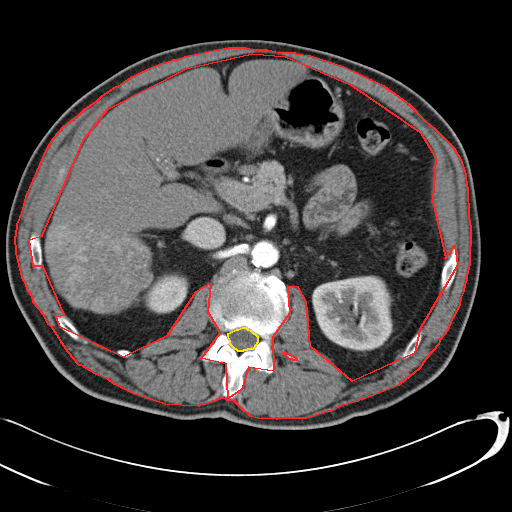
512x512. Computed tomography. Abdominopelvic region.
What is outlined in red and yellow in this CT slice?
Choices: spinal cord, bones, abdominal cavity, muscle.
red: muscle; yellow: spinal cord.
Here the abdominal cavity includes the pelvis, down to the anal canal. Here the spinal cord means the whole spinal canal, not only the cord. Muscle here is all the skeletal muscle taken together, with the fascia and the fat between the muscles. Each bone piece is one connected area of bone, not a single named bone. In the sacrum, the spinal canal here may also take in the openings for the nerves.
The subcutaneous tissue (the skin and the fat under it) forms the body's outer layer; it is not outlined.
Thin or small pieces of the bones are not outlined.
Outlines:
muscle: [[228,47],[245,47],[254,49],[267,49],[275,51],[294,52],[295,53],[310,55],[343,66],[383,85],[409,104],[424,120],[434,128],[453,147],[460,159],[465,174],[466,186],[467,187],[468,217],[470,227],[469,264],[466,275],[466,280],[464,284],[463,291],[460,297],[459,304],[453,317],[451,319],[447,330],[439,340],[438,344],[425,359],[419,368],[398,385],[363,399],[360,399],[357,401],[342,405],[331,411],[327,411],[306,418],[277,418],[276,419],[257,418],[250,416],[248,413],[244,411],[234,401],[227,400],[225,398],[217,399],[214,401],[205,404],[201,404],[198,406],[165,404],[132,393],[114,384],[108,379],[96,374],[81,365],[79,365],[68,352],[51,326],[48,324],[44,315],[33,302],[32,296],[28,291],[25,282],[23,280],[16,253],[15,236],[16,235],[17,224],[22,212],[26,196],[47,148],[53,138],[63,126],[79,114],[85,108],[96,101],[102,95],[116,86],[118,86],[132,76],[146,69],[163,62],[166,62],[173,59],[177,59],[184,56]] with holes at [[252,53],[285,56],[350,84],[420,132],[435,157],[432,200],[445,258],[454,245],[457,265],[419,329],[414,353],[352,381],[310,346],[306,301],[298,287],[287,286],[289,313],[272,337],[273,371],[248,367],[241,389],[228,398],[226,364],[201,358],[220,332],[208,312],[211,283],[195,292],[166,336],[123,357],[60,327],[56,316],[64,314],[43,266],[33,266],[29,239],[42,235],[84,138],[108,108],[186,68]] and at [[283,352],[285,352],[286,353],[288,353],[289,354],[290,354],[291,355],[292,355],[293,356],[294,356],[296,358],[296,360],[293,360],[292,359],[289,359],[283,353]]
spinal cord: [[242,327],[245,327],[247,329],[250,330],[253,333],[254,333],[257,336],[257,342],[254,346],[254,347],[252,349],[247,349],[246,350],[243,350],[242,351],[238,351],[236,349],[235,349],[230,344],[230,340],[228,336],[228,333],[236,329],[238,329]]
abdominal cavity: [[252,53],[297,60],[375,97],[418,130],[434,153],[432,200],[445,253],[437,301],[401,353],[372,375],[352,381],[310,346],[302,292],[273,273],[232,268],[202,285],[168,334],[135,352],[80,333],[48,286],[42,231],[100,116],[142,86],[199,64]]
torso: [[221,39],[292,43],[379,70],[431,104],[465,150],[481,237],[471,311],[444,370],[385,409],[332,426],[286,430],[222,417],[176,419],[114,404],[82,391],[54,367],[16,304],[5,259],[7,219],[23,169],[46,131],[82,95],[126,66],[174,47]]
bones 1: [[232,269],[255,271],[264,275],[273,274],[279,278],[286,286],[289,313],[272,337],[273,371],[267,373],[248,367],[242,376],[241,389],[235,397],[228,398],[222,394],[226,364],[205,362],[201,354],[220,332],[210,320],[207,298],[209,290],[218,277]]; inner edge: [[242,327],[245,327],[247,329],[250,330],[253,333],[254,333],[257,336],[257,342],[254,346],[254,347],[252,349],[247,349],[246,350],[243,350],[242,351],[238,351],[236,349],[235,349],[230,344],[230,340],[228,336],[228,333],[236,329],[238,329]]
bones 2: [[454,245],[456,247],[456,249],[457,250],[457,265],[456,266],[455,275],[454,276],[453,281],[450,287],[447,290],[444,290],[440,288],[440,280],[441,279],[441,272],[442,271],[442,268],[444,265],[444,263],[446,259],[449,256],[451,252],[452,247]]
bones 3: [[33,232],[35,232],[39,235],[40,237],[40,242],[41,243],[41,258],[42,259],[42,264],[41,265],[41,267],[40,269],[38,270],[33,266],[33,264],[32,263],[32,261],[30,257],[30,254],[29,253],[29,239],[30,238],[30,236],[31,234]]
bones 4: [[57,315],[64,315],[69,320],[69,321],[75,327],[75,328],[79,332],[79,333],[80,334],[80,339],[79,340],[75,340],[73,338],[72,338],[66,332],[65,332],[60,327],[60,326],[58,324],[58,323],[57,322],[57,321],[56,320],[56,316]]
bones 5: [[419,330],[421,331],[421,334],[422,335],[421,336],[421,340],[416,350],[413,354],[412,354],[407,358],[405,358],[404,359],[401,358],[400,356],[402,352],[405,349],[406,346],[408,344],[410,340],[413,337],[413,336]]